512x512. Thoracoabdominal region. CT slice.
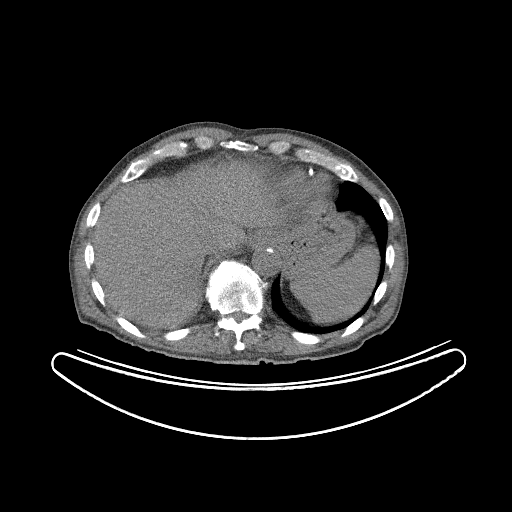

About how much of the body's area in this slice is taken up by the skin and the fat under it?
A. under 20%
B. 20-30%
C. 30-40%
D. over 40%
A. under 20%
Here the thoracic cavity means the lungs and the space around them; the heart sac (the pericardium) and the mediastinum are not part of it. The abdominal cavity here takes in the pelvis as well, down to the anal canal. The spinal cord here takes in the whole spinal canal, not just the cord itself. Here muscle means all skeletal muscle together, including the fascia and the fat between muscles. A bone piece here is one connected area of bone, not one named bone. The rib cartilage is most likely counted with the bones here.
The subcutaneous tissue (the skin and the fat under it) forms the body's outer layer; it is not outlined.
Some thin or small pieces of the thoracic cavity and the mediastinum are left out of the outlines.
The muscle is outlined by 195 127; 215 127; 216 128; 220 128; 229 131; 235 135; 238 135; 242 137; 251 136; 252 135; 258 135; 259 134; 287 133; 305 138; 321 145; 334 154; 340 156; 352 163; 366 177; 372 181; 385 193; 394 207; 399 219; 401 234; 402 235; 403 260; 404 263; 403 264; 403 271; 402 272; 401 281; 399 285; 399 290; 397 294; 397 300; 393 312; 390 317; 381 326; 365 333; 356 340; 341 345; 333 346; 320 351; 314 351; 309 353; 302 353; 295 355; 262 355; 261 356; 255 356; 252 354; 251 355; 237 354; 233 352; 230 355; 221 356; 220 355; 214 355; 213 354; 202 355; 195 353; 180 352; 179 351; 174 351; 162 347; 158 347; 146 343; 143 343; 128 336; 126 336; 120 333; 117 330; 107 325; 100 323; 95 319; 86 316; 83 313; 80 307; 80 304; 78 299; 77 284; 74 274; 74 254; 76 248; 79 226; 86 209; 96 196; 135 157; 147 151; 155 143; 163 138; 175 134; 178 132; 181 132; 188 129; 192 129, around a hole outlined by 200 135; 212 138; 213 148; 222 140; 241 140; 266 153; 270 152; 270 142; 286 141; 290 148; 280 155; 287 159; 298 159; 295 148; 315 150; 350 165; 359 185; 376 201; 380 197; 386 200; 393 213; 393 220; 387 222; 386 242; 393 246; 394 260; 390 270; 386 265; 384 268; 382 279; 387 282; 384 294; 375 305; 370 302; 362 315; 363 323; 355 331; 344 337; 341 337; 343 329; 320 333; 321 341; 301 343; 291 335; 294 329; 267 301; 259 314; 265 333; 258 336; 254 328; 243 331; 240 339; 245 347; 236 350; 232 330; 220 328; 219 335; 214 335; 220 314; 206 300; 201 313; 187 326; 190 331; 177 340; 165 339; 164 331; 142 329; 146 336; 138 337; 117 322; 115 317; 120 314; 106 300; 105 306; 100 303; 91 286; 91 279; 98 279; 94 265; 88 269; 84 258; 86 244; 93 243; 94 227; 86 226; 90 209; 96 202; 101 206; 123 183; 120 179; 131 162; 179 140; 188 143; 187 155; 199 151; 194 138. The torso is outlined by 195 121; 217 121; 241 128; 283 127; 315 134; 351 151; 383 180; 404 217; 409 259; 400 310; 387 330; 358 349; 334 357; 291 364; 261 361; 258 365; 236 365; 148 352; 79 321; 70 286; 68 251; 81 207; 130 149; 162 131. The abdominal cavity is outlined by 225 149; 289 159; 271 168; 273 189; 287 204; 332 200; 338 210; 367 220; 380 263; 359 311; 328 326; 296 319; 280 295; 280 252; 269 244; 222 259; 207 275; 201 313; 187 326; 143 330; 108 303; 92 244; 104 201; 124 183. The pericardium is outlined by 284 160; 293 160; 294 162; 297 162; 299 164; 323 170; 329 174; 335 186; 335 193; 331 199; 324 199; 321 197; 312 197; 301 205; 293 205; 287 203; 282 199; 278 195; 278 193; 274 189; 272 184; 273 181; 272 168; 276 164. The spinal cord is outlined by 238 311; 241 311; 242 312; 243 312; 244 313; 247 314; 248 315; 248 316; 247 317; 244 318; 239 322; 238 322; 237 321; 236 321; 235 320; 235 319; 233 317; 230 316; 230 314; 231 313; 232 313; 233 312; 237 312. The thoracic cavity appears in 2 outlined pieces: piece 1: 344 181; 357 183; 369 193; 377 202; 387 222; 386 241; 387 244; 385 247; 384 254; 385 267; 382 279; 375 289; 381 263; 380 248; 378 245; 376 234; 371 224; 359 211; 351 209; 340 210; 336 206; 335 202; 340 191; 340 186; piece 2: 277 277; 279 279; 278 284; 279 295; 284 307; 296 320; 314 327; 333 326; 348 320; 359 312; 373 295; 372 299; 364 313; 354 319; 343 329; 339 329; 328 333; 320 333; 319 334; 309 333; 294 329; 272 310; 270 306; 271 286. The bones appear in 16 outlined pieces: piece 1: 225 259; 245 263; 268 284; 266 302; 259 314; 260 327; 265 333; 258 336; 254 328; 243 331; 240 339; 245 347; 242 350; 234 349; 236 338; 232 330; 220 328; 219 335; 214 335; 213 328; 220 314; 211 309; 205 297; 209 273 with a hole at 238 311; 241 311; 242 312; 243 312; 244 313; 247 314; 248 315; 248 316; 247 317; 244 318; 239 322; 238 322; 237 321; 236 321; 235 320; 235 319; 233 317; 230 316; 230 314; 231 313; 232 313; 233 312; 237 312; piece 2: 179 140; 185 141; 189 145; 187 152; 185 155; 180 157; 174 157; 172 156; 160 159; 151 165; 138 177; 127 182; 123 183; 121 182; 120 179; 131 162; 145 157; 152 151; 160 148; 167 143; piece 3: 299 147; 301 148; 312 149; 322 154; 331 156; 341 162; 347 163; 352 167; 357 174; 358 176; 358 181; 357 182; 353 182; 349 180; 342 180; 332 171; 321 165; 311 162; 302 161; 298 159; 294 154; 294 150; 295 148; 298 148; piece 4: 222 140; 241 140; 242 141; 245 141; 246 142; 248 142; 249 143; 251 143; 252 144; 255 144; 256 145; 257 145; 258 146; 258 149; 255 151; 241 151; 240 150; 237 150; 236 149; 233 149; 232 148; 224 148; 219 145; 219 142; piece 5: 293 330; 296 330; 300 332; 303 332; 304 333; 308 333; 309 334; 316 334; 318 335; 321 338; 321 341; 317 343; 315 343; 314 344; 306 344; 305 343; 301 343; 297 340; 296 340; 291 335; 291 332; piece 6: 117 315; 120 315; 122 317; 125 318; 132 324; 133 324; 135 326; 136 326; 146 336; 143 338; 142 338; 141 337; 138 337; 136 335; 135 335; 134 334; 127 331; 125 329; 124 329; 117 322; 117 321; 115 319; 115 317; piece 7: 273 141; 286 141; 287 142; 288 142; 290 144; 290 148; 285 153; 283 153; 282 154; 279 154; 278 155; 277 154; 274 154; 273 153; 272 153; 271 152; 270 152; 270 151; 269 150; 269 149; 268 148; 268 144; 270 142; 272 142; piece 8: 185 327; 190 327; 190 331; 186 335; 186 336; 185 336; 183 338; 181 338; 180 339; 178 339; 177 340; 167 340; 163 337; 163 334; 165 332; 167 332; 168 331; 172 331; 173 330; 176 330; 177 329; 180 329; 181 328; 184 328; piece 9: 96 202; 99 202; 100 203; 100 211; 99 212; 99 215; 97 218; 97 220; 96 221; 95 224; 93 226; 92 226; 91 227; 87 227; 86 226; 86 219; 87 218; 87 216; 88 215; 88 213; 89 212; 90 209; 93 206; 93 205; piece 10: 200 135; 203 135; 204 136; 207 136; 208 137; 210 137; 211 138; 212 138; 214 141; 214 145; 211 148; 209 148; 208 149; 204 149; 203 150; 202 150; 201 149; 196 147; 196 146; 195 145; 195 143; 194 142; 194 138; 195 138; piece 11: 92 278; 94 278; 98 281; 98 282; 100 284; 103 290; 103 292; 104 293; 104 298; 105 299; 105 302; 106 303; 105 306; 103 306; 100 303; 100 302; 97 299; 95 294; 93 292; 93 290; 91 286; 91 279; piece 12: 360 316; 363 316; 363 317; 364 318; 364 321; 363 322; 363 323; 355 331; 354 331; 352 333; 351 333; 350 334; 349 334; 344 337; 341 337; 341 334; 343 332; 344 329; 349 324; 350 324; 354 320; 355 320; 358 317; 359 317; piece 13: 380 197; 382 197; 383 198; 384 198; 389 204; 389 205; 392 210; 392 212; 393 213; 393 220; 392 221; 387 221; 387 220; 386 219; 386 218; 385 217; 385 216; 384 215; 384 214; 383 213; 383 212; 377 201; 378 200; 378 199; piece 14: 382 280; 385 280; 387 282; 387 286; 386 287; 385 292; 382 296; 382 297; 379 300; 379 301; 375 305; 374 305; 372 303; 372 300; 373 299; 373 296; 374 295; 375 290; 377 288; 377 287; 379 285; 379 284; piece 15: 87 243; 90 243; 92 245; 92 246; 93 247; 93 263; 91 265; 91 266; 90 267; 90 268; 89 269; 88 269; 87 268; 87 267; 86 266; 86 264; 85 263; 85 259; 84 258; 84 250; 85 249; 85 246; 86 245; 86 244; piece 16: 388 244; 391 244; 393 246; 393 248; 394 249; 394 253; 395 254; 394 255; 394 260; 393 261; 393 264; 392 265; 392 267; 390 270; 389 270; 389 269; 388 268; 388 267; 386 265; 386 263; 385 262; 385 254; 386 253; 386 247. The mediastinum appears in 3 outlined pieces: piece 1: 261 245; 269 245; 273 247; 279 252; 280 256; 279 272; 270 286; 270 301; 269 302; 267 301; 266 298; 266 292; 269 286; 268 282; 264 280; 255 270; 245 262; 234 258; 226 258; 246 248; 256 248; piece 2: 219 146; 224 149; 220 149; 213 152; 211 154; 208 154; 203 157; 194 159; 177 170; 173 171; 172 170; 165 169; 160 172; 154 173; 149 177; 139 177; 156 162; 165 158; 171 158; 172 157; 174 158; 180 158; 196 151; 208 150; piece 3: 290 159; 295 159; 302 162; 311 163; 321 166; 332 172; 338 178; 343 181; 339 186; 339 191; 334 203; 332 198; 336 193; 336 186; 332 176; 323 169; 316 168; 310 165; 305 165; 299 163; 297 161; 294 161; 293 159.